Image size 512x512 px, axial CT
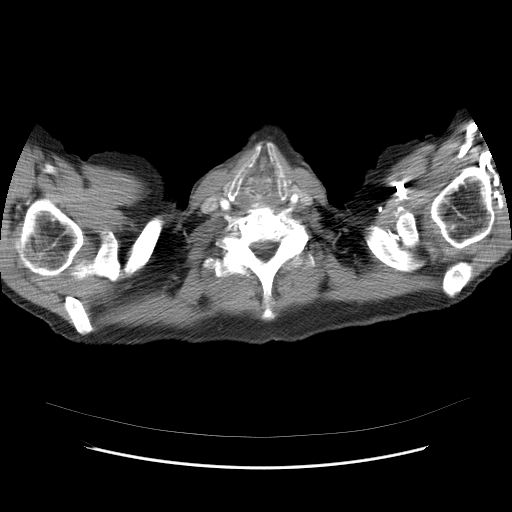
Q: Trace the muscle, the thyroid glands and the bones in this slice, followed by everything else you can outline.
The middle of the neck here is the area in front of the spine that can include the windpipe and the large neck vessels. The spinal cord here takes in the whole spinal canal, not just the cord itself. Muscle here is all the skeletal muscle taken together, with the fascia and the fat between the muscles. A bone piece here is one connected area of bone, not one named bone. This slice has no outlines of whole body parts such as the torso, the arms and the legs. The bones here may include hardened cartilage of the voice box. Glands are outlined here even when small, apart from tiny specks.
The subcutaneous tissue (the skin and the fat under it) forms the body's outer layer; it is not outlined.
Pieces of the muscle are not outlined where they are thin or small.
A: muscle: 469 116; 488 148; 433 198; 429 216; 455 249; 480 241; 491 232; 506 206; 499 176; 508 208; 511 249; 467 285; 472 266; 449 266; 441 288; 450 298; 460 292; 455 299; 409 293; 314 303; 269 322; 220 315; 193 327; 82 335; 93 326; 78 298; 64 298; 72 326; 0 275; 2 213; 26 143; 129 171; 147 183; 148 204; 186 207; 210 172; 271 135; 331 206; 357 214; 378 200; 395 162; 439 144 with holes at 267 142; 284 178; 311 196; 312 205; 288 213; 310 235; 300 256; 315 261; 289 260; 276 273; 272 319; 261 317; 252 273; 218 277; 202 265; 224 253; 216 242; 231 231; 225 215; 250 208; 200 209; 224 195; 258 144; 266 154 and at 42 198; 49 199; 82 231; 83 244; 73 265; 82 260; 90 262; 103 238; 108 232; 113 233; 118 242; 121 269; 121 275; 115 281; 97 275; 77 279; 69 273; 72 265; 53 276; 41 275; 24 266; 16 250; 15 239; 27 208 and at 405 209; 413 214; 419 235; 419 241; 409 250; 412 253; 412 256; 421 262; 422 265; 412 271; 400 271; 386 265; 374 255; 365 240; 365 236; 369 231; 367 228; 370 225; 375 225; 384 230; 389 229; 395 233; 396 216; 401 214 and at 154 216; 159 216; 163 220; 163 223; 162 224; 161 231; 159 234; 158 239; 155 244; 153 251; 148 261; 141 268; 135 271; 130 276; 126 276; 123 272; 123 267; 129 256; 130 249; 133 243; 141 232; 142 229; 146 223
thyroid glands 1: 228 182; 230 182; 230 183; 229 184; 229 185; 228 186; 228 187; 227 188; 227 192; 226 193; 226 194; 225 194; 224 193; 224 192; 223 191; 223 187
thyroid glands 2: 294 184; 295 185; 296 186; 297 187; 297 188; 298 189; 299 190; 298 191; 297 191; 296 191; 295 191; 294 191; 293 191; 292 190; 292 189; 292 188; 293 187; 293 186; 293 185
bones 1: 254 203; 275 213; 291 209; 288 213; 310 235; 300 256; 310 253; 315 261; 305 268; 289 260; 276 273; 269 300; 272 319; 261 317; 262 287; 252 273; 218 277; 212 267; 202 265; 224 253; 216 242; 231 231; 225 215; 244 216 with a hole at 267 240; 269 240; 272 242; 275 242; 276 243; 278 243; 278 244; 275 249; 274 254; 272 255; 266 261; 264 261; 260 258; 259 258; 254 253; 254 252; 251 249; 250 246; 252 243; 254 243; 255 242; 258 242; 259 241; 266 241
bones 2: 42 198; 49 199; 82 231; 83 244; 73 265; 82 260; 90 262; 103 238; 108 232; 113 233; 118 242; 121 269; 121 275; 115 281; 97 275; 77 279; 69 273; 72 265; 53 276; 41 275; 24 266; 16 250; 15 239; 27 208
bones 3: 485 149; 488 149; 491 155; 491 164; 498 175; 505 206; 495 214; 495 218; 491 230; 485 237; 458 249; 450 245; 441 235; 440 229; 430 216; 431 204; 434 198; 452 179; 460 173; 462 168; 472 165; 477 166; 479 164; 478 156
bones 4: 405 209; 413 214; 419 235; 419 241; 409 250; 412 253; 412 256; 421 262; 422 265; 412 271; 400 271; 386 265; 374 255; 365 240; 365 236; 369 231; 367 228; 370 225; 375 225; 384 230; 389 229; 395 233; 396 216; 401 214
bones 5: 154 216; 159 216; 163 220; 163 223; 162 224; 161 231; 159 234; 158 239; 155 244; 153 251; 148 261; 141 268; 135 271; 130 276; 126 276; 123 272; 123 267; 129 256; 130 249; 133 243; 141 232; 142 229; 146 223
bones 6: 460 261; 467 262; 471 266; 472 268; 472 275; 467 282; 467 283; 462 288; 462 289; 454 296; 452 297; 450 297; 448 296; 443 291; 443 289; 442 288; 442 282; 443 281; 444 274; 446 270; 449 267; 450 267; 452 265
bones 7: 67 296; 72 296; 78 299; 82 303; 87 313; 87 315; 89 318; 90 323; 92 326; 92 330; 90 332; 88 333; 86 333; 85 334; 80 334; 76 330; 64 306; 64 304; 65 303; 65 298
bones 8: 258 144; 260 144; 262 146; 261 152; 256 158; 253 165; 246 169; 247 171; 245 173; 245 175; 242 180; 238 190; 238 193; 235 196; 233 201; 231 201; 226 196; 228 192; 228 188; 238 171; 252 159; 252 156; 255 152; 255 148
bones 9: 267 142; 273 143; 274 145; 273 152; 275 155; 275 160; 279 163; 283 172; 284 178; 290 182; 287 186; 288 193; 284 199; 281 199; 278 193; 278 188; 276 182; 277 176; 275 173; 275 165; 269 159; 269 156; 266 149; 266 143
middle of the neck: 261 154; 267 154; 274 165; 280 199; 287 197; 290 185; 293 192; 303 191; 310 195; 312 205; 297 203; 286 208; 284 205; 254 202; 250 207; 229 211; 218 208; 205 214; 200 209; 201 203; 210 196; 224 194; 233 202; 247 169
spinal cord: 267 240; 269 240; 272 242; 275 242; 276 243; 278 243; 278 244; 275 249; 274 254; 272 255; 266 261; 264 261; 260 258; 259 258; 254 253; 254 252; 251 249; 250 246; 252 243; 254 243; 255 242; 258 242; 259 241; 266 241